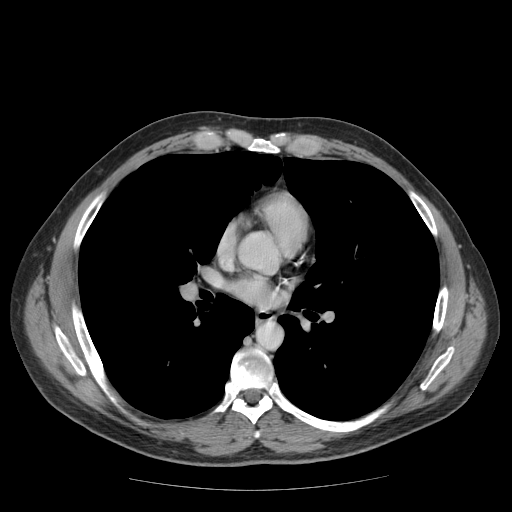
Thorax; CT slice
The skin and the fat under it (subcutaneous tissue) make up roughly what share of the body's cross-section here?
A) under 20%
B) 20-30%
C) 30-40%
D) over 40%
A) under 20%
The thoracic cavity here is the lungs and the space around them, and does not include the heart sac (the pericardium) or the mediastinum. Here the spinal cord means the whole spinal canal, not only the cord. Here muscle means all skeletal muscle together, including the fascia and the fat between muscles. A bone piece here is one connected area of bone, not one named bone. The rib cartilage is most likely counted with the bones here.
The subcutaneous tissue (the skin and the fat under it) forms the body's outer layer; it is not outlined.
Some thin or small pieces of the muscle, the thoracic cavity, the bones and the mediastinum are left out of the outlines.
{"mediastinum":[[[289,300],[287,305],[287,310],[289,312],[280,315],[277,319],[284,330],[284,338],[281,345],[276,350],[272,361],[271,358],[263,350],[257,346],[241,347],[244,338],[253,330],[255,323],[254,311],[249,306],[262,311],[277,310],[283,307]],[[214,256],[213,258],[213,267],[215,268],[215,271],[217,272],[217,274],[221,280],[221,285],[220,286],[221,288],[224,291],[241,301],[235,299],[220,291],[217,291],[214,293],[204,284],[199,274],[198,267],[200,265],[203,266],[205,264],[208,264]],[[282,172],[283,173],[283,177],[284,178],[284,181],[286,186],[282,182],[279,181],[272,185],[262,188],[255,194],[248,205],[240,211],[244,206],[249,202],[250,197],[255,190],[257,190],[264,184],[265,185],[266,184],[273,184],[278,179]]],"pericardium":[[[279,182],[287,188],[309,216],[313,227],[312,252],[314,259],[313,262],[305,268],[303,279],[296,286],[289,299],[283,306],[277,309],[262,310],[249,305],[222,288],[222,280],[214,267],[214,258],[218,244],[229,222],[246,208],[256,194],[262,189]]],"thoracic_cavity":[[[225,150],[365,163],[406,193],[431,234],[439,288],[430,332],[373,410],[321,418],[278,383],[278,319],[316,259],[315,228],[282,171],[252,192],[197,267],[212,293],[254,316],[221,399],[163,419],[110,382],[81,308],[82,241],[112,190],[146,162]]],"torso":[[[197,110],[323,116],[359,125],[389,142],[444,195],[487,265],[500,309],[494,349],[477,385],[457,410],[433,425],[346,458],[300,465],[198,467],[128,450],[91,433],[46,401],[23,363],[9,322],[11,287],[27,245],[74,182],[112,147],[155,120]]],"bones":[{"outer":[[250,347],[259,348],[270,358],[282,393],[294,405],[313,416],[346,421],[359,418],[387,401],[392,400],[392,404],[372,422],[348,432],[314,427],[276,404],[265,411],[255,424],[244,414],[229,408],[224,412],[202,418],[222,399],[234,354],[240,348]],"hole":[[251,388],[254,388],[255,389],[258,389],[260,391],[260,392],[261,393],[261,397],[258,400],[258,401],[255,403],[249,403],[248,402],[247,402],[242,396],[243,395],[242,394],[243,393],[243,392],[245,390],[246,390],[247,389],[250,389]]},[[231,127],[249,133],[253,137],[265,139],[269,139],[272,134],[278,132],[316,136],[322,141],[326,149],[317,157],[299,157],[284,150],[277,153],[257,152],[233,144],[222,147],[218,151],[197,151],[188,139],[189,137],[206,130],[222,134],[227,128]],[[72,301],[75,301],[81,309],[89,336],[101,360],[104,372],[109,382],[128,404],[124,404],[123,405],[124,407],[131,414],[149,423],[150,425],[149,426],[143,427],[124,414],[109,399],[95,380],[85,360],[83,351],[75,332],[71,312]],[[104,189],[108,192],[108,194],[100,206],[98,211],[93,218],[89,227],[87,229],[81,241],[79,247],[79,250],[76,251],[74,250],[73,248],[73,242],[74,241],[75,233],[78,224],[81,219],[81,217],[85,209],[93,198],[98,193]],[[54,325],[57,325],[60,328],[62,332],[68,338],[76,354],[82,361],[84,364],[84,366],[86,368],[86,374],[85,375],[82,376],[81,375],[77,374],[74,368],[72,366],[71,363],[66,358],[66,357],[61,351],[55,337],[55,334],[54,333]],[[444,284],[447,286],[448,289],[448,296],[447,297],[447,305],[446,306],[445,316],[444,317],[442,327],[438,333],[435,335],[432,335],[431,333],[431,329],[432,328],[432,323],[434,317],[434,311],[435,310],[436,301],[438,296],[438,292],[440,287]],[[407,190],[412,190],[414,191],[423,200],[423,201],[429,208],[433,216],[433,218],[434,219],[434,221],[437,228],[437,237],[435,239],[433,237],[432,234],[430,232],[426,224],[422,219],[420,214],[416,209],[414,204],[407,194],[406,192]],[[449,346],[453,346],[454,347],[454,351],[452,354],[452,356],[449,362],[442,369],[442,370],[439,372],[439,373],[434,378],[434,379],[430,383],[426,389],[424,390],[420,389],[420,387],[419,386],[421,382],[427,375],[434,361],[441,354],[442,354]]],"spinal_cord":[[[251,388],[254,388],[255,389],[258,389],[260,391],[260,392],[261,393],[261,397],[258,400],[258,401],[255,403],[249,403],[248,402],[247,402],[242,396],[243,395],[242,394],[243,393],[243,392],[245,390],[246,390],[247,389],[250,389]]],"muscle":[{"outer":[[210,125],[230,127],[222,133],[211,129],[197,131],[187,138],[196,151],[168,152],[146,161],[109,193],[105,188],[98,192],[77,224],[72,248],[79,251],[80,306],[75,300],[71,301],[71,319],[88,369],[108,399],[143,428],[150,423],[124,405],[163,420],[185,419],[207,411],[201,417],[205,419],[229,409],[244,415],[253,425],[276,405],[314,428],[339,433],[352,432],[372,423],[392,406],[393,400],[388,400],[414,367],[430,333],[432,336],[439,333],[446,316],[449,289],[445,283],[440,286],[435,242],[438,228],[434,216],[414,190],[405,191],[372,165],[346,158],[341,161],[303,158],[318,158],[324,153],[327,149],[323,141],[319,137],[316,135],[287,132],[335,138],[371,152],[396,169],[440,211],[460,245],[466,277],[473,277],[487,313],[487,331],[479,358],[450,394],[313,451],[277,453],[255,441],[232,455],[212,456],[187,444],[160,440],[126,426],[82,403],[49,375],[29,343],[23,311],[32,282],[41,268],[45,275],[50,268],[56,243],[70,214],[87,194],[138,151],[164,138]],"holes":[[[54,325],[57,325],[60,328],[62,332],[68,338],[76,354],[82,361],[84,364],[84,366],[86,368],[86,374],[85,375],[82,376],[81,375],[77,374],[74,368],[72,366],[71,363],[66,358],[66,357],[61,351],[55,337],[55,334],[54,333]],[[449,346],[453,346],[454,347],[454,351],[452,354],[452,356],[449,362],[442,369],[442,370],[439,372],[439,373],[434,378],[434,379],[430,383],[426,389],[424,390],[420,389],[420,387],[419,386],[421,382],[427,375],[434,361],[441,354],[442,354]],[[256,429],[257,429],[258,430],[259,430],[259,431],[260,432],[260,433],[260,434],[259,435],[259,436],[259,437],[258,438],[257,438],[256,438],[255,438],[254,437],[253,436],[253,435],[253,434],[253,433],[253,432],[254,431],[255,430]]]}]}